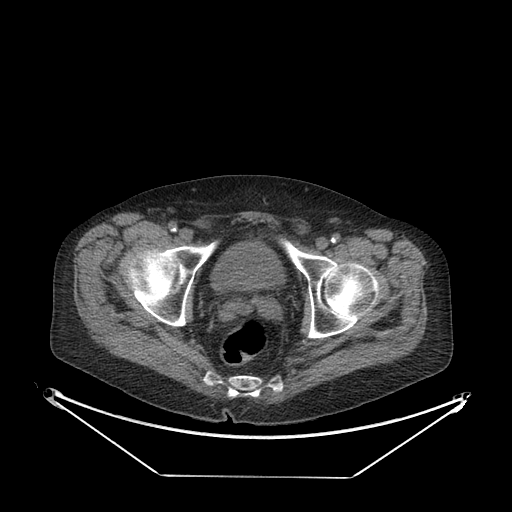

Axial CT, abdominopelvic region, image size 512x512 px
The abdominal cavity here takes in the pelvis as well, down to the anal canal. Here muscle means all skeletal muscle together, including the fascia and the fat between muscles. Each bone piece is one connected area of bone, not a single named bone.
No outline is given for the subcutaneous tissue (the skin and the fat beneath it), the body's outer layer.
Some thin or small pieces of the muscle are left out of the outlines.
{"torso":[[[222,174],[268,174],[309,181],[431,235],[442,248],[450,273],[453,354],[448,366],[431,377],[345,412],[290,424],[253,425],[234,424],[230,417],[223,422],[204,421],[159,409],[56,358],[49,346],[52,276],[55,256],[65,235],[98,211],[144,190]]],"abdominal_cavity":[[[222,220],[226,220],[230,225],[263,223],[280,233],[277,242],[297,269],[297,277],[302,284],[304,303],[299,338],[291,345],[281,367],[272,375],[261,377],[222,373],[206,354],[203,346],[196,341],[192,332],[195,283],[203,264],[220,242],[213,226]]],"bones":[[[278,236],[283,236],[303,252],[326,256],[338,264],[346,262],[355,262],[369,269],[376,278],[379,285],[378,297],[375,303],[348,329],[340,333],[326,337],[308,338],[307,334],[310,325],[311,306],[307,280],[304,275],[296,268],[285,250],[278,242]],[[216,239],[219,240],[217,246],[194,275],[193,282],[186,299],[185,306],[186,324],[183,326],[173,326],[159,321],[148,312],[134,296],[126,274],[132,259],[138,254],[154,248],[162,251],[183,245],[201,246],[206,245],[210,242],[214,242]],[[209,370],[220,375],[224,380],[233,375],[252,375],[266,381],[272,376],[279,375],[283,382],[283,388],[280,391],[274,391],[270,387],[265,386],[261,389],[257,397],[238,395],[230,398],[227,396],[226,384],[217,383],[208,385],[203,381],[205,373]]],"muscle":[[[241,211],[309,222],[326,233],[371,227],[403,234],[428,264],[423,279],[427,320],[417,346],[392,363],[357,369],[277,404],[237,397],[257,398],[265,387],[274,392],[284,388],[281,376],[275,374],[300,338],[304,315],[305,296],[297,270],[306,280],[309,298],[308,339],[351,328],[376,303],[380,285],[366,266],[303,251],[266,223],[230,224],[222,219],[212,226],[214,241],[146,249],[131,259],[125,274],[133,296],[148,313],[161,323],[183,327],[188,295],[201,267],[193,287],[191,332],[213,365],[228,376],[224,379],[209,369],[202,381],[208,386],[226,385],[229,398],[204,395],[100,347],[78,315],[73,298],[73,253],[85,232],[120,212],[194,221]]]}